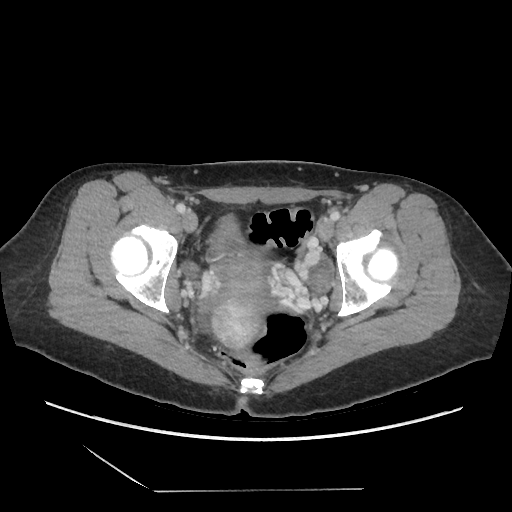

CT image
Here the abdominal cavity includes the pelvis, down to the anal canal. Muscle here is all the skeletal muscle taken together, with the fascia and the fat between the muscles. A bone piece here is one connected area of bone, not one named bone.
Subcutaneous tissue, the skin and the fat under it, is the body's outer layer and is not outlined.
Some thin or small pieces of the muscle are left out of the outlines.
Outlines (x, y in pixels):
muscle: 120,170 142,172 158,186 301,186 311,189 336,188 347,192 360,193 381,183 395,183 426,194 438,206 438,211 448,234 451,255 460,275 461,291 456,314 444,329 429,339 367,355 304,384 276,393 262,394 265,392 264,380 252,375 243,376 239,380 236,389 238,392 200,384 181,377 139,354 76,331 48,315 48,274 60,242 69,206 83,183 with holes at 194,195 227,204 294,203 319,196 351,200 336,223 335,244 377,228 400,268 384,297 338,316 342,287 336,263 326,312 307,350 275,370 241,374 195,350 188,339 177,273 183,223 170,198 and at 142,223 159,229 167,230 173,235 178,241 177,252 175,258 170,266 164,288 164,298 165,299 165,303 169,310 168,313 163,312 158,309 156,309 145,304 125,289 116,279 109,258 110,250 113,243 133,228
bones 1: 142,223 159,229 167,230 173,235 178,241 177,252 175,258 170,266 164,288 164,298 165,299 165,303 169,310 168,313 163,312 158,309 156,309 145,304 125,289 116,279 109,258 110,250 113,243 133,228
bones 2: 374,228 379,229 383,233 381,238 381,244 392,250 398,256 400,260 400,268 393,279 390,291 384,297 380,298 361,311 346,316 338,316 337,314 342,302 342,287 336,263 336,245 340,241 346,241 366,235
bones 3: 246,376 252,376 253,377 257,377 262,379 264,382 264,386 263,387 263,390 264,392 261,394 258,394 257,393 251,393 250,392 247,392 246,393 241,393 239,392 237,390 239,386 239,382 243,377 245,377
torso: 269,159 312,161 398,174 430,184 455,198 511,265 505,313 488,359 343,409 273,418 251,416 242,409 237,414 226,415 158,402 16,345 3,297 0,246 24,224 47,190 59,179 78,168 103,162 194,164
abdominal cavity: 194,195 227,204 247,204 257,201 264,204 294,203 319,196 351,200 351,206 339,218 335,226 335,275 326,312 313,336 311,345 291,363 261,375 241,374 191,346 181,308 177,273 183,223 170,198 191,198